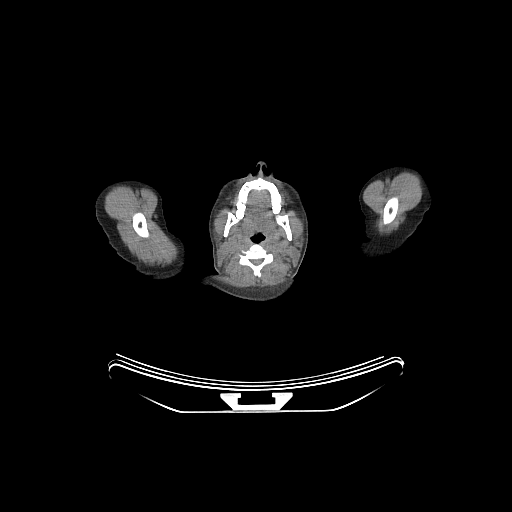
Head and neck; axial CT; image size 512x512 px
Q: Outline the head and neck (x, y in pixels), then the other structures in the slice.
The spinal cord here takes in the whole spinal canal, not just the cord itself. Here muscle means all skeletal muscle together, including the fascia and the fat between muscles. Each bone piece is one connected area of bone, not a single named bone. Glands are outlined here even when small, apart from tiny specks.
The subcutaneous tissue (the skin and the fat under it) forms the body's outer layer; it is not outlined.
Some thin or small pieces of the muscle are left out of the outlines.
A: {"head_and_neck":[{"outer":[[258,161],[267,164],[261,168],[265,174],[271,170],[276,178],[291,184],[298,191],[308,220],[308,243],[295,282],[283,296],[265,303],[244,300],[197,283],[204,275],[216,272],[208,220],[218,191],[231,179],[243,177],[249,171],[255,174],[259,170]],"hole":[[258,234],[261,234],[261,235],[262,236],[263,236],[263,238],[261,240],[260,240],[258,242],[256,242],[255,241],[254,241],[252,239],[252,238],[254,236],[255,236],[256,235],[257,235]]}],"right_arm":[[[124,178],[142,180],[151,184],[159,191],[162,197],[163,215],[166,226],[172,233],[182,240],[187,253],[185,268],[179,275],[168,280],[157,281],[151,279],[135,270],[130,263],[118,256],[109,245],[107,237],[96,219],[95,200],[99,192],[106,185]]],"parotid_glands":[[[301,233],[302,233],[303,234],[303,245],[302,246],[302,250],[301,251],[299,251],[298,250],[298,248],[297,247],[296,247],[294,245],[294,244],[293,243],[293,239],[294,238],[294,237],[297,234],[300,234]],[[214,230],[215,230],[217,232],[217,233],[220,236],[220,244],[218,246],[217,246],[216,245],[216,241],[215,240],[215,239],[214,238],[214,234],[213,233],[213,231]]],"muscle":[{"outer":[[242,181],[236,208],[234,212],[228,210],[226,213],[222,235],[226,238],[232,226],[243,218],[249,193],[266,190],[275,222],[300,252],[291,275],[281,284],[236,287],[216,278],[220,274],[217,247],[221,244],[221,236],[214,229],[214,219],[225,198]],"hole":[[258,234],[261,234],[263,236],[263,238],[258,242],[266,250],[271,252],[273,255],[273,260],[261,268],[260,270],[261,275],[259,277],[254,275],[253,270],[249,266],[242,265],[239,263],[239,254],[242,250],[247,250],[253,243],[256,242],[252,238]]},{"outer":[[119,185],[127,185],[131,187],[145,187],[151,190],[156,195],[156,219],[158,225],[163,232],[175,243],[178,248],[178,256],[170,264],[164,266],[147,265],[134,256],[121,240],[116,228],[116,222],[107,214],[104,208],[104,199],[106,194],[113,187]],"hole":[[136,212],[141,212],[144,215],[145,217],[145,219],[146,220],[146,224],[147,225],[147,229],[149,233],[149,236],[148,237],[146,237],[145,238],[144,237],[142,237],[138,235],[138,234],[133,228],[133,225],[132,224],[132,216]]},{"outer":[[402,170],[410,171],[414,173],[419,178],[422,187],[422,196],[419,203],[415,207],[405,213],[404,221],[396,230],[394,230],[389,234],[381,235],[376,231],[374,227],[375,220],[377,216],[364,202],[363,194],[367,186],[376,179],[380,177],[391,175]],"hole":[[393,196],[396,196],[398,198],[398,207],[397,208],[397,212],[396,213],[396,215],[395,216],[395,217],[392,220],[392,221],[391,222],[390,222],[387,224],[384,224],[383,223],[383,209],[384,208],[384,206],[385,205],[387,200],[389,198],[390,198]]},[[276,184],[281,185],[288,193],[294,203],[293,207],[297,211],[299,217],[302,220],[302,223],[303,224],[303,232],[297,233],[293,238],[293,233],[290,225],[289,215],[287,213],[284,213],[283,214],[281,214],[280,213],[280,211],[282,208],[282,197]]],"spinal_cord":[[[253,259],[262,259],[262,260],[261,261],[261,262],[260,263],[259,263],[258,264],[254,264],[251,261],[251,260],[252,260]]],"left_arm":[[[395,165],[413,167],[427,179],[430,184],[432,193],[430,207],[424,214],[422,221],[415,231],[397,251],[381,258],[366,259],[358,253],[356,247],[358,242],[363,241],[366,238],[364,233],[364,215],[360,208],[358,195],[364,183],[371,176],[385,168]]],"bones":[[[258,177],[275,184],[281,197],[279,213],[288,215],[292,233],[291,240],[288,240],[284,229],[276,222],[271,207],[270,194],[266,189],[252,189],[248,193],[242,218],[231,226],[226,237],[223,235],[227,213],[228,211],[235,212],[241,186],[246,181]],{"outer":[[253,243],[259,243],[266,250],[271,252],[273,255],[273,260],[270,263],[268,263],[264,265],[261,268],[260,270],[261,275],[259,277],[254,275],[253,273],[253,270],[249,266],[247,265],[242,265],[239,263],[239,254],[241,251],[242,250],[247,250]],"hole":[[253,259],[262,259],[262,260],[261,261],[261,262],[260,263],[259,263],[258,264],[254,264],[251,261],[251,260],[252,260]]},[[393,196],[396,196],[398,198],[398,207],[397,208],[397,212],[396,213],[396,215],[395,216],[395,217],[392,220],[392,221],[391,222],[390,222],[387,224],[384,224],[383,223],[383,209],[384,208],[384,206],[385,205],[387,200],[389,198],[390,198]],[[136,212],[141,212],[144,215],[145,217],[145,219],[146,220],[146,224],[147,225],[147,229],[149,233],[149,236],[148,237],[146,237],[145,238],[144,237],[142,237],[138,235],[138,234],[133,228],[133,225],[132,224],[132,216]]]}